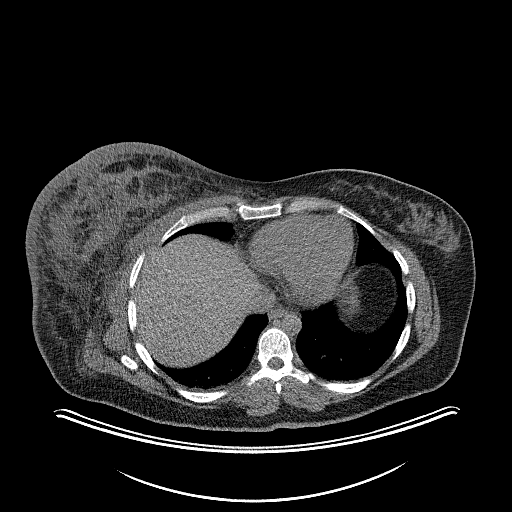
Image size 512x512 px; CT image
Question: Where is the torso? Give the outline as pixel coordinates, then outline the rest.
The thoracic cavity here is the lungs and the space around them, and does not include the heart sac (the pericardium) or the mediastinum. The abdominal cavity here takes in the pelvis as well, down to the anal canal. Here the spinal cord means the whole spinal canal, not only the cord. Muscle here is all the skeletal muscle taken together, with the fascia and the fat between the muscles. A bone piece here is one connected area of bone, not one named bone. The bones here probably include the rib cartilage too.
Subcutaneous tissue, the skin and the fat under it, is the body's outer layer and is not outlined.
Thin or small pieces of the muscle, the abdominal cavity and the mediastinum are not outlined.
Answer: The torso is outlined by 117,142 160,145 216,171 259,181 330,168 365,170 415,185 445,200 467,223 475,260 473,299 452,375 432,391 350,420 264,432 204,430 157,423 66,392 53,378 34,339 26,226 37,195 58,172 89,151. The abdominal cavity appears in 2 outlined pieces: piece 1: 185,234 203,234 218,240 231,240 237,243 239,254 247,266 263,281 265,287 261,292 257,311 245,318 225,347 201,363 191,367 176,368 154,360 142,342 137,328 134,300 135,286 144,260 159,244 166,244; piece 2: 370,263 380,264 391,272 396,284 397,298 393,311 387,321 375,331 369,333 362,333 348,329 338,319 336,307 334,304 331,301 327,302 326,301 334,297 344,286 348,279 352,266 355,264 357,266 360,266. The thoracic cavity appears in 3 outlined pieces: piece 1: 356,223 374,236 398,263 405,287 407,314 391,354 377,369 352,382 328,380 306,368 294,350 302,329 302,312 331,302 337,319 348,330 369,334 388,321 398,298 396,280 387,267 376,262 356,264 359,242; piece 2: 251,314 263,314 267,317 267,323 257,339 256,351 247,369 237,378 224,385 221,389 210,391 194,391 186,389 168,376 156,364 155,361 168,368 185,369 191,368 209,360 230,343 232,338 234,337 246,318; piece 3: 202,222 229,222 231,223 234,232 231,239 228,240 222,240 221,239 218,239 216,237 213,237 210,235 207,235 203,233 185,233 182,235 175,237 166,243 164,243 169,237 178,231 189,226 198,223 201,223. The spinal cord is outlined by 274,357 276,357 277,358 279,358 282,361 282,365 279,368 278,368 277,369 275,369 274,368 272,368 271,367 270,367 268,365 268,362 272,358 273,358. The bones appear in 10 outlined pieces: piece 1: 272,327 282,330 288,336 293,350 305,368 318,378 352,383 371,377 372,381 359,391 351,393 328,390 312,380 303,383 290,375 280,379 280,393 277,393 275,383 267,377 247,386 242,380 250,370 259,336 with a hole at 274,357 276,357 277,358 279,358 282,361 282,365 279,368 278,368 277,369 275,369 274,368 272,368 271,367 270,367 268,365 268,362 272,358 273,358; piece 2: 298,199 313,199 328,204 342,204 367,223 376,232 379,240 363,225 338,214 334,208 319,208 265,218 246,220 236,216 205,220 184,227 159,243 164,233 181,216 198,210 217,206 231,207 237,201 257,207; piece 3: 176,387 179,387 180,388 182,388 189,391 193,391 194,392 210,392 211,391 216,391 217,390 221,390 222,389 227,389 228,390 228,392 227,394 209,402 195,402 189,399 187,399 180,395 175,390 175,388; piece 4: 135,341 140,341 143,344 143,345 151,356 152,359 154,361 155,364 158,368 158,371 159,372 159,374 158,375 155,374 144,363 144,362 141,359 141,358 139,356 135,349 135,347 134,346 134,343; piece 5: 407,322 410,323 410,324 411,325 408,340 407,341 405,346 403,348 402,351 399,354 399,355 394,360 391,360 391,355 392,354 392,353 394,350 394,348 400,337 400,335 404,328 404,326 405,325 405,324; piece 6: 142,251 144,251 145,252 145,256 142,262 141,267 139,270 139,273 137,276 137,279 135,282 135,285 132,289 129,287 129,277 130,276 130,272 131,271 131,269 133,266 133,264 134,262 136,260 138,255; piece 7: 408,280 410,280 412,282 412,283 413,284 413,287 414,288 414,291 415,292 415,306 414,307 414,309 413,310 413,311 411,313 408,313 408,311 407,310 407,298 406,297 406,287 405,286 405,285; piece 8: 130,298 133,299 133,300 135,303 135,310 136,311 136,319 137,320 137,323 136,324 136,328 133,332 132,332 130,330 130,327 129,326 129,322 128,321 128,315 127,314 127,306 128,305 128,300; piece 9: 391,247 394,247 395,248 396,248 404,257 405,260 408,264 408,268 409,269 409,272 408,273 408,274 405,275 402,273 402,271 401,270 401,268 400,267 400,265 399,264 399,263 396,260 395,257 391,252; piece 10: 123,354 124,354 125,355 130,357 133,360 134,360 135,361 135,362 137,364 137,365 138,366 137,369 136,369 135,370 131,370 129,368 128,368 126,366 125,366 121,362 121,361 120,360 120,357. The muscle is outlined by 222,194 238,196 249,203 263,203 286,195 324,197 341,203 298,198 254,206 237,200 231,206 198,209 181,215 145,259 144,250 137,255 128,277 128,287 132,290 135,287 134,299 130,297 126,306 129,330 133,333 137,329 141,340 135,340 133,346 155,375 160,374 159,369 182,387 174,388 180,396 195,403 219,399 229,392 222,388 250,365 241,380 247,387 267,378 280,394 281,379 290,376 303,384 312,381 328,391 351,394 369,385 373,378 368,376 390,356 394,361 400,355 412,327 406,322 407,315 416,306 414,284 410,279 405,284 403,279 403,275 410,272 409,264 396,247 387,249 377,232 345,206 409,247 431,276 441,320 435,344 407,368 361,395 319,411 297,408 282,401 274,412 260,416 232,409 184,405 151,394 120,377 89,369 81,356 84,339 90,327 104,326 110,315 114,283 126,260 128,241 176,207, around a hole outlined by 123,354 124,354 125,355 130,357 133,360 134,360 135,361 135,362 137,364 137,365 138,366 137,369 136,369 135,370 131,370 129,368 128,368 126,366 125,366 121,362 121,361 120,360 120,357. The mediastinum appears in 3 outlined pieces: piece 1: 266,284 272,286 275,291 279,294 279,297 288,305 305,310 301,312 301,329 296,336 293,346 289,336 282,329 272,326 263,330 268,323 268,317 266,314 260,314 256,312 260,307 260,299 262,292 266,287; piece 2: 319,209 331,210 336,213 293,213 281,217 268,219 259,223 254,223 248,226 241,233 237,239 237,242 232,241 235,232 231,222 206,221 216,220 220,218 239,218 246,221 265,219 279,217 283,214; piece 3: 348,219 352,220 355,222 355,227 358,235 358,242 357,243 357,247 356,248 356,252 355,253 355,257 354,258 354,261 355,263 353,265 354,253 356,250 356,234 354,231 354,227 352,225 352,223. The pericardium is outlined by 302,213 337,214 351,223 355,234 355,250 353,253 352,265 343,286 334,296 327,299 325,302 314,308 308,309 290,305 284,301 272,285 269,283 264,283 264,281 248,266 238,249 238,239 248,227 268,220.